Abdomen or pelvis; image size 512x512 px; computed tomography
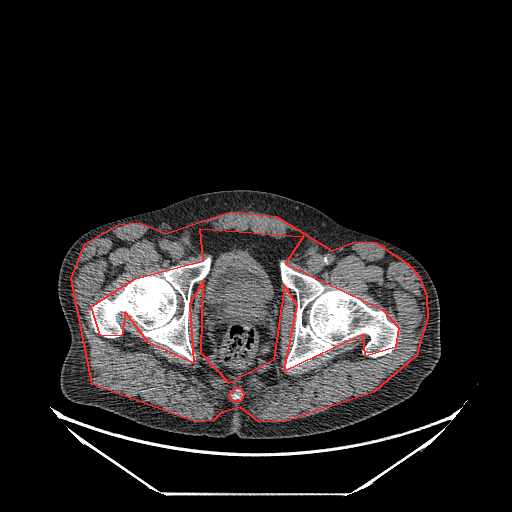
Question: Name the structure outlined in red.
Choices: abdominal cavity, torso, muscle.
Answer: red: muscle.
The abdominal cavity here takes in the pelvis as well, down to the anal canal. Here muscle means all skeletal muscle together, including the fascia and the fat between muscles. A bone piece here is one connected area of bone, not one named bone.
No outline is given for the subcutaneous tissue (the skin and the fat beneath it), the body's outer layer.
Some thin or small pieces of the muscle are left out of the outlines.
muscle: [[231,211],[276,216],[331,250],[355,241],[375,242],[407,263],[419,276],[426,296],[427,317],[416,355],[373,392],[282,422],[258,421],[240,407],[221,412],[213,420],[196,422],[92,384],[71,278],[85,243],[118,224],[139,222],[165,233]], around holes outlined by [[200,228],[303,236],[285,263],[382,309],[398,327],[395,347],[365,356],[363,334],[284,371],[297,305],[284,285],[273,360],[229,383],[201,353],[203,280],[189,304],[193,363],[148,342],[125,312],[121,336],[100,335],[91,306],[135,278],[203,260]] and by [[236,387],[239,387],[241,389],[241,390],[243,393],[243,395],[242,396],[242,398],[240,401],[233,401],[232,400],[231,400],[231,399],[230,398],[230,396],[229,395],[230,394],[230,393],[232,391],[232,390],[234,388],[235,388]]
abdominal cavity: [[200,228],[213,232],[249,229],[276,239],[282,239],[288,233],[297,233],[305,239],[301,251],[278,260],[284,305],[274,358],[263,371],[245,383],[226,381],[214,372],[210,362],[201,353],[199,292],[210,271],[213,256],[200,250],[194,242],[194,235]]
torso: [[230,189],[267,191],[299,200],[345,227],[405,250],[419,261],[438,295],[441,355],[412,396],[339,429],[299,437],[247,439],[235,433],[211,437],[164,431],[74,403],[63,395],[60,370],[71,336],[59,302],[57,280],[71,245],[102,224],[192,195]]
bones 1: [[281,259],[295,271],[355,295],[374,310],[382,309],[399,330],[398,341],[392,351],[377,357],[363,355],[362,348],[369,338],[363,334],[346,340],[342,347],[335,347],[297,368],[284,371],[282,364],[294,339],[297,300],[295,292],[282,283]]
bones 2: [[209,254],[209,271],[193,285],[190,296],[188,335],[196,356],[193,363],[164,344],[148,342],[151,340],[125,312],[116,316],[123,330],[121,336],[106,338],[94,330],[89,310],[103,296],[112,299],[135,278],[160,274],[173,265],[196,263]]
bones 3: [[236,387],[239,387],[241,389],[241,390],[243,393],[243,395],[242,396],[242,398],[240,401],[233,401],[232,400],[231,400],[231,399],[230,398],[230,396],[229,395],[230,394],[230,393],[232,391],[232,390],[234,388],[235,388]]